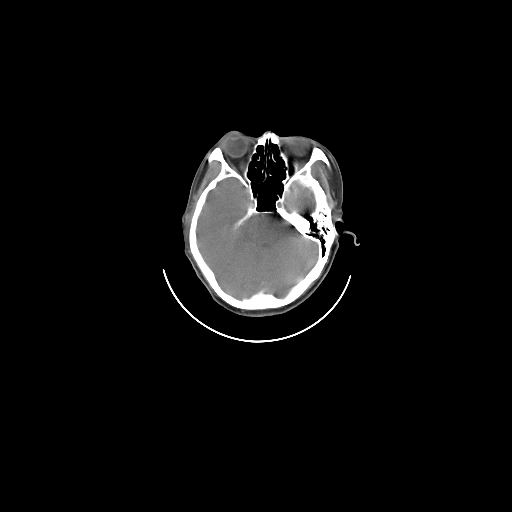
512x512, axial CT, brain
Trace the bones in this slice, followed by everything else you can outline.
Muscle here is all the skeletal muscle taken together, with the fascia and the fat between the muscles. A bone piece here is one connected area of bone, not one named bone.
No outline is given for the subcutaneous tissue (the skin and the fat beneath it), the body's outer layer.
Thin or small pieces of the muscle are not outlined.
Outlined structures:
bones: (266, 131) (279, 136) (291, 174) (314, 146) (324, 152) (331, 167) (317, 160) (311, 174) (331, 204) (337, 233) (320, 275) (300, 296) (279, 307) (242, 309) (218, 296) (203, 276) (190, 252) (189, 228) (197, 200) (220, 171) (219, 161) (208, 162) (215, 147) (241, 175) (249, 165) (259, 209) (274, 207) (284, 161) (278, 155) (276, 161) (270, 159) (266, 169) (271, 175) (263, 181) (264, 156) (258, 160) (255, 153) (249, 159) (256, 138), around holes outlined by (228, 178) (237, 180) (249, 199) (244, 214) (234, 223) (236, 228) (253, 215) (273, 216) (287, 222) (300, 234) (302, 240) (309, 240) (317, 245) (317, 257) (313, 265) (282, 296) (262, 289) (241, 298) (229, 293) (220, 285) (199, 248) (198, 220) (208, 194) (219, 182) and by (299, 187) (301, 188) (305, 188) (306, 189) (308, 189) (311, 192) (312, 196) (313, 197) (313, 200) (314, 201) (314, 205) (313, 206) (313, 208) (310, 210) (305, 211) (303, 213) (299, 211) (299, 210) (294, 205) (294, 202) (292, 198) (295, 197) (298, 194) (299, 192) and by (272, 145) (273, 145) (274, 145) (275, 145) (276, 146) (277, 146) (277, 147) (278, 148) (278, 149) (278, 150) (278, 151) (277, 152) (277, 153) (276, 153) (275, 153) (274, 152) (273, 151) (272, 151) (272, 150) (271, 149) (271, 148) (271, 147) (270, 146) (271, 146)
brain 1: (228, 178) (237, 180) (249, 199) (244, 214) (234, 223) (236, 228) (253, 215) (273, 216) (287, 222) (300, 234) (302, 240) (309, 240) (317, 245) (317, 257) (313, 265) (282, 296) (262, 289) (241, 298) (229, 293) (220, 285) (199, 248) (198, 220) (208, 194) (219, 182)
brain 2: (299, 187) (301, 188) (305, 188) (306, 189) (308, 189) (311, 192) (312, 196) (313, 197) (313, 200) (314, 201) (314, 205) (313, 206) (313, 208) (310, 210) (305, 211) (303, 213) (299, 211) (299, 210) (294, 205) (294, 202) (292, 198) (295, 197) (298, 194) (299, 192)
muscle 1: (317, 161) (321, 161) (324, 163) (329, 169) (331, 168) (333, 172) (333, 178) (335, 183) (335, 192) (337, 200) (337, 205) (336, 206) (337, 208) (337, 215) (335, 219) (333, 220) (332, 216) (332, 204) (329, 202) (327, 194) (322, 187) (320, 182) (312, 174) (312, 166)
muscle 2: (212, 161) (219, 162) (220, 164) (219, 171) (207, 183) (195, 202) (188, 228) (188, 248) (189, 251) (188, 249) (188, 242) (186, 237) (186, 228) (185, 227) (186, 215) (189, 210) (189, 207) (192, 200) (193, 194) (196, 188) (198, 187) (206, 171) (208, 164)
head: (231, 130) (256, 138) (266, 131) (278, 136) (309, 136) (331, 151) (340, 168) (344, 222) (338, 223) (337, 229) (353, 235) (346, 233) (339, 238) (333, 265) (315, 293) (299, 306) (280, 315) (243, 317) (226, 311) (213, 301) (183, 252) (181, 216) (193, 177) (208, 149); inner edges: (255, 154) (258, 161) (263, 156) (263, 168) (260, 171) (263, 182) (272, 175) (267, 169) (269, 161) (276, 162) (277, 156) (283, 161) (284, 177) (280, 181) (281, 191) (274, 192) (273, 207) (269, 209) (260, 209) (260, 196) (254, 191) (253, 182) (248, 175) (249, 166), then (272, 145) (273, 145) (274, 145) (275, 145) (276, 146) (277, 146) (277, 147) (278, 148) (278, 149) (278, 150) (278, 151) (277, 152) (277, 153) (276, 153) (275, 153) (274, 152) (273, 151) (272, 151) (272, 150) (271, 149) (271, 148) (271, 147) (270, 146) (271, 146)